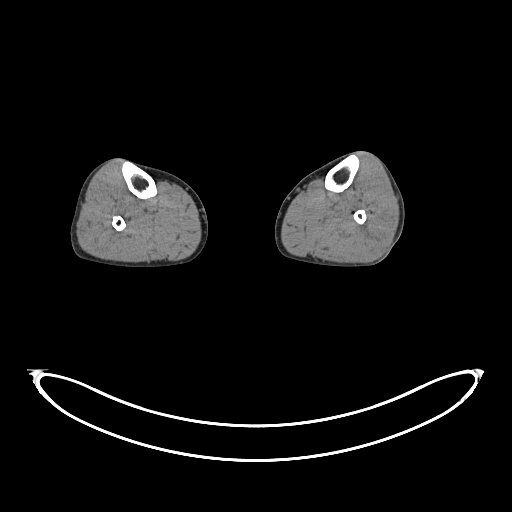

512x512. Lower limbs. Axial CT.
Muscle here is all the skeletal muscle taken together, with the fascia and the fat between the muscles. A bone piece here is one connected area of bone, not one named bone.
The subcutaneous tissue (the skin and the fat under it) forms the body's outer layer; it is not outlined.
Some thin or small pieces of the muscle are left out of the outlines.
Outlined structures:
left leg: 354,150 366,150 375,154 385,163 390,170 402,194 405,208 404,225 399,239 383,260 371,266 335,267 312,264 284,257 276,247 274,239 274,224 279,207 285,196 298,181 308,173 330,160 344,153
muscle 1: 117,160 122,161 120,171 127,189 141,200 152,198 158,193 154,178 175,183 191,196 198,210 201,225 201,239 191,255 176,261 123,262 99,258 81,248 76,234 76,224 85,200 88,185 101,167 111,161; inner edge: 114,215 119,215 120,216 121,216 123,218 123,219 124,220 124,222 125,223 125,226 124,227 124,228 122,230 120,230 119,231 118,230 117,230 112,225 112,219 113,218 113,216
muscle 2: 360,153 371,156 381,164 397,198 399,217 389,246 378,258 369,262 333,262 309,255 301,257 289,253 281,241 281,226 292,200 306,184 324,175 323,185 326,190 334,193 343,192 351,185 360,167 357,155 with a hole at 358,209 363,209 365,211 365,214 366,215 366,218 365,219 365,221 363,223 362,223 361,224 359,224 354,219 354,218 353,217 353,214 354,213 354,212 355,211 356,211
bones 1: 122,160 129,160 133,162 137,166 146,171 152,176 154,179 154,181 156,185 156,188 157,189 157,193 154,196 146,199 141,199 133,194 128,189 128,187 121,171 121,166 123,161
bones 2: 352,153 355,153 358,157 359,159 359,167 350,185 341,192 334,192 333,191 331,191 330,190 326,189 324,185 324,182 325,181 325,175 328,171 328,170 338,162 339,162 345,157 346,157 349,154 351,154
bones 3: 114,215 119,215 120,216 121,216 123,218 123,219 124,220 124,222 125,223 125,226 124,227 124,228 122,230 120,230 119,231 118,230 117,230 112,225 112,219 113,218 113,216
bones 4: 358,209 363,209 365,211 365,214 366,215 366,218 365,219 365,221 363,223 362,223 361,224 359,224 354,219 354,218 353,217 353,214 354,213 354,212 355,211 356,211
right leg: 113,157 127,158 134,162 167,171 181,178 193,188 202,201 208,220 207,240 202,251 197,257 187,263 179,265 161,267 122,267 85,260 78,257 74,253 70,242 69,231 80,188 85,178 94,167 101,162